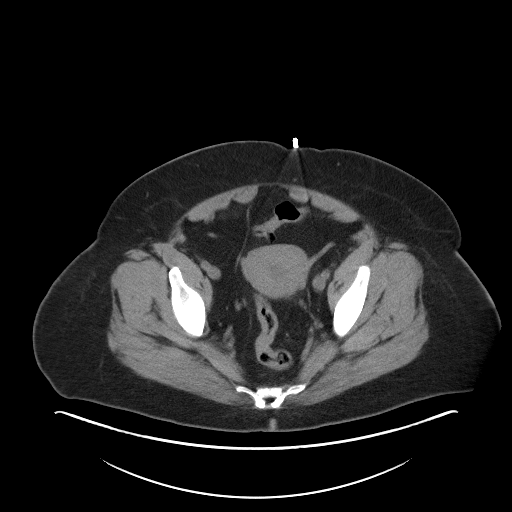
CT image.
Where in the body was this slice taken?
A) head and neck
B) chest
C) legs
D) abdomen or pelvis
D) abdomen or pelvis
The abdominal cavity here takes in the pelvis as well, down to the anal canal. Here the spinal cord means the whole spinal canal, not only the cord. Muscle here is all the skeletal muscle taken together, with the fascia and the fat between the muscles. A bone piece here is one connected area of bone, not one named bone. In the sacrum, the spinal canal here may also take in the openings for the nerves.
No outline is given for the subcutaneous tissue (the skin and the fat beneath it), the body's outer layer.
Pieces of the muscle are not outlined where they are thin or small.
The abdominal cavity is outlined by [[264,186],[286,189],[297,202],[315,206],[341,222],[359,221],[362,226],[350,235],[353,249],[327,286],[332,312],[329,337],[309,350],[287,385],[253,389],[243,366],[210,331],[207,314],[212,285],[185,253],[182,223],[202,220],[232,200],[250,202]]. The torso is outlined by [[240,139],[271,140],[289,148],[357,150],[407,171],[444,199],[461,230],[459,252],[487,289],[501,321],[471,391],[439,395],[313,429],[228,432],[69,399],[53,389],[33,354],[34,316],[54,279],[93,241],[111,202],[136,178],[166,161],[204,146]]. The muscle is outlined by [[275,181],[339,199],[368,218],[379,233],[409,247],[423,268],[429,337],[421,352],[402,367],[320,402],[289,408],[281,409],[266,409],[278,409],[279,408],[281,406],[288,395],[306,388],[306,382],[289,384],[314,346],[332,330],[338,338],[349,332],[364,307],[371,269],[366,263],[358,266],[332,311],[328,286],[354,249],[351,235],[362,222],[341,221],[295,200],[286,188],[264,185],[250,201],[232,199],[202,219],[181,223],[184,253],[211,285],[207,313],[202,296],[185,281],[180,268],[175,264],[167,272],[176,322],[199,338],[207,321],[209,331],[245,372],[249,387],[237,384],[234,389],[249,395],[256,409],[144,378],[122,364],[106,337],[110,276],[122,254],[136,244],[165,239],[182,214],[208,197]]. The bones appear in 3 outlined pieces: piece 1: [[175,265],[179,268],[184,281],[189,286],[195,289],[199,293],[204,302],[205,312],[206,313],[206,321],[204,324],[202,335],[199,337],[192,336],[188,334],[177,322],[173,314],[171,306],[171,301],[170,300],[171,287],[169,282],[168,272],[170,268]]; piece 2: [[364,264],[366,264],[369,266],[370,275],[368,281],[367,293],[366,294],[363,307],[359,316],[348,332],[344,336],[338,337],[333,331],[333,325],[332,324],[333,321],[333,312],[334,311],[335,304],[340,296],[349,287],[354,280],[359,266]]; piece 3: [[297,383],[306,383],[305,388],[298,393],[295,394],[288,394],[284,398],[282,403],[278,408],[259,409],[254,405],[254,400],[249,394],[245,392],[238,392],[235,389],[235,387],[237,385],[243,385],[254,390],[259,386],[287,386],[288,385],[296,384]]. The spinal cord is outlined by [[267,398],[268,398],[269,398],[270,398],[271,398],[272,398],[273,399],[272,400],[271,400],[270,401],[269,401],[268,401],[267,401],[266,400],[265,399],[266,399]].